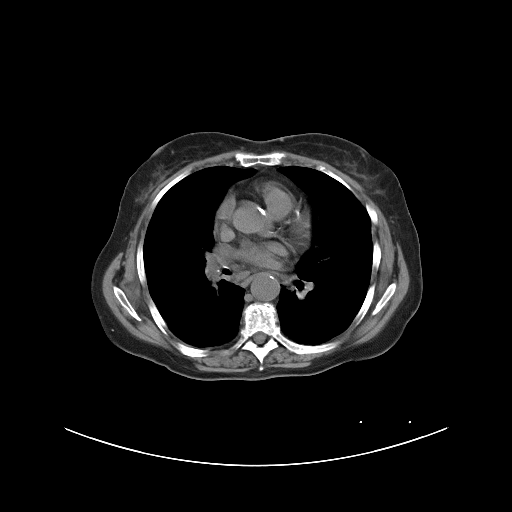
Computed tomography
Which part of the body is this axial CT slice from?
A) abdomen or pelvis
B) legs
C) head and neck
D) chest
Answer: D) chest
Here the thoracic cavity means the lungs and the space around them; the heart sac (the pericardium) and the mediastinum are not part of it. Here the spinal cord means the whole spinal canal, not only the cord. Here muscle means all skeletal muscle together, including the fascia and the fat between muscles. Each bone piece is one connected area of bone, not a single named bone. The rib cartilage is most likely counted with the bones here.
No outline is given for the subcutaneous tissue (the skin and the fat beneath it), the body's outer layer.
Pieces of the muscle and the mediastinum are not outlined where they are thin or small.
{"muscle":[{"outer":[[241,149],[254,153],[235,152],[233,159],[238,165],[229,162],[207,166],[192,172],[193,170],[190,166],[163,186],[151,201],[151,215],[144,237],[139,240],[136,247],[136,273],[141,285],[144,286],[146,284],[147,286],[150,296],[147,301],[147,307],[150,315],[164,335],[166,336],[169,333],[168,329],[181,341],[173,343],[174,347],[180,353],[192,358],[206,357],[210,350],[208,348],[232,343],[228,348],[219,352],[221,356],[232,355],[240,349],[251,352],[258,360],[258,369],[236,372],[203,371],[184,357],[178,356],[165,348],[154,345],[130,333],[115,317],[108,306],[102,292],[102,279],[111,261],[119,252],[126,250],[131,231],[150,195],[161,182],[195,160]],"hole":[[114,285],[117,286],[123,291],[127,299],[129,301],[129,302],[131,304],[131,305],[133,307],[133,308],[135,310],[137,314],[140,317],[141,319],[140,321],[134,318],[121,305],[121,304],[119,302],[119,301],[114,294],[114,292],[113,291],[113,286]]},{"outer":[[279,150],[324,161],[364,189],[384,215],[392,242],[400,245],[409,273],[409,286],[387,323],[369,340],[315,358],[303,367],[264,369],[264,358],[279,345],[298,355],[336,348],[341,342],[332,340],[353,321],[358,325],[369,310],[376,288],[370,280],[382,257],[379,242],[372,239],[372,224],[378,223],[374,207],[368,202],[363,204],[353,188],[325,165],[319,163],[314,168],[290,164],[285,162],[285,152],[273,151]],"hole":[[392,282],[395,282],[396,284],[396,286],[395,287],[395,290],[393,294],[388,300],[386,304],[377,313],[376,313],[374,315],[372,315],[371,313],[374,309],[377,302],[382,296],[386,288]]}],"pericardium":[[[267,169],[276,171],[281,174],[294,185],[307,199],[311,208],[311,239],[306,250],[291,270],[284,272],[256,272],[245,269],[236,269],[232,267],[224,259],[216,244],[214,236],[216,212],[221,202],[234,185],[246,179],[249,179],[261,171]]],"spinal_cord":[[[257,332],[262,332],[263,333],[264,333],[266,335],[266,336],[267,337],[266,338],[266,340],[263,343],[262,343],[261,344],[258,344],[257,343],[256,343],[255,342],[254,342],[254,341],[252,338],[252,337],[253,336],[253,335],[255,333],[256,333]]],"torso":[[[199,131],[224,132],[253,140],[306,132],[332,134],[359,144],[394,172],[419,239],[423,289],[417,310],[391,348],[373,358],[346,362],[312,375],[261,380],[200,380],[172,372],[110,341],[92,301],[91,275],[97,256],[113,229],[127,180],[159,146]]],"mediastinum":[[[224,260],[232,268],[236,270],[245,270],[256,273],[284,273],[293,270],[293,273],[287,278],[285,284],[281,287],[278,295],[278,301],[276,304],[267,301],[254,301],[245,304],[245,290],[241,286],[232,281],[232,272],[227,267]],[[285,163],[289,164],[289,165],[280,166],[277,169],[278,171],[268,168],[263,169],[255,175],[249,178],[246,178],[245,179],[234,184],[226,193],[224,197],[227,189],[231,185],[240,179],[243,178],[247,178],[253,175],[256,172],[252,167],[250,167],[256,165],[277,166]],[[283,175],[284,175],[286,177],[287,177],[292,182],[293,182],[299,188],[299,189],[300,190],[301,190],[307,196],[307,198],[298,189],[298,188],[294,184],[293,184],[286,177],[285,177]]],"bones":[{"outer":[[254,302],[271,303],[276,309],[280,331],[296,343],[319,345],[336,340],[340,343],[332,349],[308,354],[289,351],[279,344],[263,358],[262,370],[258,368],[257,357],[247,349],[239,348],[232,354],[221,355],[220,352],[228,349],[239,336],[244,307]],"hole":[[257,332],[262,332],[263,333],[264,333],[266,335],[266,336],[267,337],[266,338],[266,340],[263,343],[262,343],[261,344],[258,344],[257,343],[256,343],[255,342],[254,342],[254,341],[252,338],[252,337],[253,336],[253,335],[255,333],[256,333]]},[[237,152],[249,153],[250,154],[264,154],[265,153],[269,153],[270,152],[283,152],[286,154],[286,158],[285,159],[285,161],[283,163],[278,164],[277,165],[264,165],[263,164],[256,164],[255,165],[244,167],[239,165],[239,164],[234,159],[234,154]],[[373,283],[375,284],[375,288],[374,289],[374,294],[373,295],[373,298],[371,301],[371,303],[368,308],[368,310],[364,315],[361,321],[358,324],[356,324],[353,320],[363,303],[363,301],[365,298],[365,296],[367,293],[367,291],[368,290],[369,286]],[[179,341],[189,346],[191,346],[195,348],[201,348],[202,349],[204,348],[207,348],[209,350],[208,351],[208,354],[206,356],[201,356],[200,357],[192,357],[191,356],[185,355],[181,352],[180,352],[175,347],[174,345],[174,343],[175,342],[178,342]],[[190,167],[192,170],[191,171],[191,173],[190,173],[188,175],[175,183],[171,187],[170,187],[160,198],[152,212],[151,210],[151,204],[152,203],[152,201],[159,192],[159,191],[170,181],[171,181],[175,177],[180,174],[185,169],[189,168]],[[114,285],[117,286],[123,291],[127,299],[129,301],[129,302],[131,304],[131,305],[133,307],[133,308],[135,310],[137,314],[140,317],[141,319],[140,321],[134,318],[121,305],[121,304],[119,302],[119,301],[114,294],[114,292],[113,291],[113,286]],[[142,238],[143,238],[143,247],[142,248],[143,249],[143,266],[144,267],[144,273],[145,274],[145,278],[146,279],[146,283],[144,285],[142,285],[139,280],[138,274],[137,273],[137,264],[136,263],[136,253],[137,252],[137,247],[138,246],[138,243]],[[150,298],[152,299],[160,315],[162,317],[162,318],[164,320],[164,321],[167,325],[167,327],[168,328],[167,329],[167,331],[168,333],[166,335],[164,334],[161,331],[161,330],[158,327],[158,326],[154,321],[151,315],[151,313],[148,307],[148,301]],[[392,282],[395,282],[396,284],[396,286],[395,287],[395,290],[393,294],[388,300],[386,304],[377,313],[376,313],[374,315],[372,315],[371,313],[374,309],[377,302],[382,296],[386,288]],[[374,241],[377,241],[379,244],[379,246],[380,247],[380,250],[381,251],[381,257],[380,258],[380,261],[379,262],[379,265],[378,266],[378,268],[376,270],[376,271],[375,272],[371,281],[371,272],[372,271],[372,260],[373,259],[373,242]],[[319,164],[321,164],[325,166],[329,170],[343,179],[352,188],[352,189],[354,191],[355,195],[342,183],[341,183],[336,179],[333,178],[331,176],[324,173],[322,171],[320,171],[316,169],[315,168],[316,165],[318,165]],[[365,203],[368,203],[372,207],[373,207],[373,208],[375,210],[375,211],[376,212],[376,214],[377,215],[377,223],[376,224],[373,224],[371,222],[371,219],[370,218],[370,217],[367,212],[367,210],[364,205],[365,204]]],"thoracic_cavity":[[[221,165],[249,167],[255,171],[226,189],[215,211],[213,224],[215,247],[231,272],[231,281],[244,290],[243,301],[246,305],[242,309],[242,325],[233,342],[202,348],[189,345],[177,337],[151,297],[144,266],[144,238],[153,211],[170,188],[193,172]],[[290,165],[313,168],[342,184],[364,206],[371,223],[371,271],[362,303],[350,324],[342,332],[331,340],[319,344],[299,343],[287,337],[281,331],[274,305],[278,303],[280,291],[294,273],[296,264],[312,244],[312,208],[308,196],[278,170],[282,166]]]}